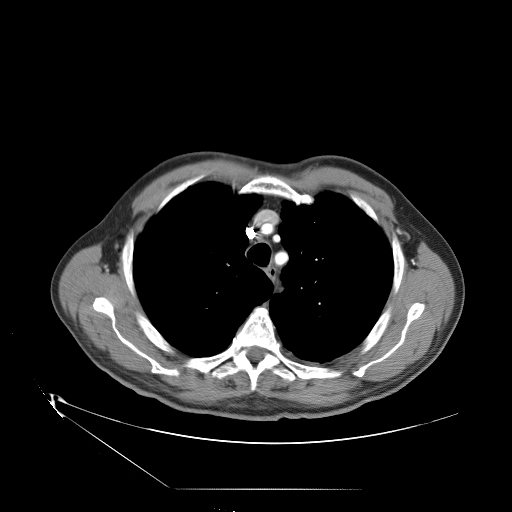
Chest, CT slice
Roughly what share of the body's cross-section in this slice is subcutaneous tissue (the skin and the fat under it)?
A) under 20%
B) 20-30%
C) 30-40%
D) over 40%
A) under 20%
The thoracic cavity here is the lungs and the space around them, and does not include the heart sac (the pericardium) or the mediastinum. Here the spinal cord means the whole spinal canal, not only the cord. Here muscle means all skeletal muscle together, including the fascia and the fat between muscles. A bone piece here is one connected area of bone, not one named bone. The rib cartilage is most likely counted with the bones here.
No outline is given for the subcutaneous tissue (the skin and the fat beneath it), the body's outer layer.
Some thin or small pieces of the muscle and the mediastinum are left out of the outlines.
The thoracic cavity is outlined by 204,181 260,195 243,254 274,295 286,288 290,259 279,233 285,200 311,205 321,192 335,192 381,227 392,254 391,288 358,345 321,365 290,358 269,298 218,353 191,356 161,334 136,291 135,241 174,197. The bones appear in 10 outlined pieces: piece 1: 257,306 268,310 281,351 287,357 306,365 340,369 343,373 332,378 303,379 297,376 289,381 265,369 257,377 255,390 251,391 250,378 243,370 219,379 210,371 204,373 183,366 190,357 208,357 225,350, around a hole outlined by 253,346 256,346 257,347 259,347 260,348 261,348 264,350 264,353 263,354 263,357 260,360 259,360 257,362 256,362 255,363 252,362 248,358 248,357 247,356 247,353 248,352 248,349 250,347 252,347; piece 2: 260,174 271,174 272,175 275,175 282,179 297,192 301,194 306,193 313,196 314,197 314,201 311,204 299,204 297,205 291,200 285,199 277,195 258,194 257,193 238,194 236,192 236,190 239,189 250,180; piece 3: 100,296 105,297 112,304 115,316 115,325 120,334 162,366 169,369 177,368 179,372 177,376 162,373 152,373 151,363 146,358 136,353 118,338 112,327 111,319 106,314 95,310 92,306 94,299; piece 4: 415,302 423,303 425,305 425,307 421,314 409,324 402,344 389,356 383,360 370,365 366,369 362,376 358,377 353,375 352,371 356,370 360,366 370,361 379,358 399,341 401,337 402,329 407,319 408,309; piece 5: 130,230 133,230 134,233 134,247 133,248 133,258 132,259 132,275 133,276 133,281 134,282 134,287 136,292 136,296 133,296 128,288 123,272 123,264 121,259 121,254 123,249 123,244 126,235; piece 6: 136,311 140,311 142,312 147,317 149,321 160,333 160,334 174,348 175,352 173,354 168,353 162,350 160,348 156,346 146,336 146,335 144,333 144,332 137,322 137,320 136,319 136,316 135,315 135,312; piece 7: 389,305 391,306 391,316 385,330 383,332 382,335 380,337 378,341 372,347 371,347 366,352 364,353 361,353 360,351 361,350 361,343 362,341 369,333 369,332 379,318 382,312 387,307 387,306; piece 8: 393,232 396,234 401,244 401,247 404,255 403,274 402,275 401,282 396,293 393,293 391,291 392,283 393,282 393,274 394,273 394,262 393,261 393,254 392,253 392,248 391,247 390,242 392,238 392,233; piece 9: 206,171 208,172 208,174 207,175 206,175 199,181 190,185 184,190 174,196 167,203 166,203 165,205 159,211 156,212 157,207 160,202 171,190 172,190 176,186 182,182 188,179 193,178 202,172 205,172; piece 10: 351,192 353,193 355,193 358,196 359,196 361,198 365,200 371,206 371,207 375,212 379,220 379,224 378,224 373,219 372,219 368,215 367,215 365,213 365,212 361,208 360,208 350,198 349,195. The mediastinum is outlined by 261,195 277,196 284,199 280,212 281,221 278,226 278,233 289,259 281,272 281,279 285,284 285,288 281,293 273,293 273,285 269,278 254,266 244,254 248,244 248,237 245,232 246,224 261,203. The torso is outlined by 196,150 222,150 279,162 338,154 368,165 395,184 445,238 464,278 463,309 438,357 401,389 348,412 276,421 180,411 138,394 98,368 53,309 49,288 54,269 70,245 99,222 138,177 166,158. The spinal cord is outlined by 253,346 256,346 257,347 259,347 260,348 261,348 264,350 264,353 263,354 263,357 260,360 259,360 257,362 256,362 255,363 252,362 248,358 248,357 247,356 247,353 248,352 248,349 250,347 252,347. The muscle is outlined by 211,158 232,159 247,163 252,166 255,165 262,170 267,170 282,174 288,174 310,165 337,166 348,169 382,188 393,201 396,214 416,235 443,260 447,265 453,278 455,289 453,308 431,352 398,378 387,384 379,386 365,393 362,393 342,403 331,406 320,407 307,407 302,404 287,400 281,400 277,398 266,398 256,395 229,399 221,401 218,404 211,405 187,402 157,387 145,384 131,374 115,366 100,355 82,337 82,334 76,329 75,326 68,319 60,303 58,296 58,283 66,264 76,252 85,247 100,242 114,229 121,221 134,197 153,179 178,166 with holes at 206,171 200,182 234,191 271,174 314,197 329,191 349,198 352,192 371,206 389,242 396,234 404,264 398,290 389,292 383,307 391,306 390,319 366,352 360,343 321,365 342,370 340,376 289,381 265,369 251,391 245,371 219,379 185,367 190,355 176,347 173,354 162,350 138,324 135,312 145,312 123,272 126,235 133,230 135,241 171,190 and at 100,296 105,297 112,304 115,316 115,325 120,334 162,366 169,369 177,368 179,372 177,376 162,373 152,373 151,363 146,358 136,353 118,338 112,327 111,319 106,314 95,310 92,306 94,299 and at 415,302 423,303 425,305 425,307 421,314 409,324 402,344 389,356 383,360 370,365 366,369 362,376 358,377 353,375 352,371 356,370 360,366 370,361 379,358 399,341 401,337 402,329 407,319 408,309.